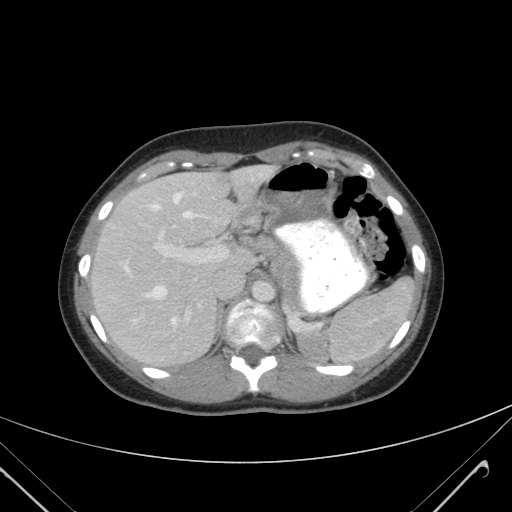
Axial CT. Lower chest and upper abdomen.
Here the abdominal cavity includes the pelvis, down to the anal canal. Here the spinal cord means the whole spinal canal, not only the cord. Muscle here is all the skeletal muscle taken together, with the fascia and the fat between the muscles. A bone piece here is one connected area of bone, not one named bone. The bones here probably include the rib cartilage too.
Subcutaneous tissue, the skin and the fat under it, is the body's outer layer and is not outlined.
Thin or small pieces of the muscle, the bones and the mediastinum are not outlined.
The muscle is outlined by [[205,404],[253,393],[247,390],[244,375],[228,364],[232,349],[224,334],[206,360],[166,370],[171,374],[167,378],[152,379],[141,371],[140,364],[111,342],[103,343],[95,333],[89,321],[93,310],[87,278],[79,276],[77,262],[85,252],[92,252],[103,221],[96,218],[99,208],[109,199],[115,206],[143,181],[135,180],[140,171],[170,159],[177,163],[175,168],[181,167],[182,161],[191,161],[193,166],[233,164],[248,156],[282,162],[311,158],[304,153],[307,149],[323,148],[370,163],[376,176],[369,179],[385,197],[393,195],[405,209],[402,216],[395,216],[409,248],[415,242],[424,250],[426,270],[421,274],[414,267],[411,325],[402,341],[353,364],[348,375],[317,372],[314,367],[319,364],[294,355],[281,332],[281,343],[272,351],[278,364],[262,374],[258,393],[295,404],[318,402],[349,392],[387,368],[414,340],[425,313],[430,250],[406,200],[369,159],[308,140],[248,153],[177,149],[136,167],[93,210],[78,243],[73,274],[74,305],[85,333],[110,361],[142,385],[175,399]]. The spinal cord is outlined by [[252,365],[257,363],[258,360],[262,356],[265,355],[265,351],[255,343],[249,343],[248,344],[245,345],[243,347],[242,347],[239,350],[239,352],[238,353],[238,354],[239,354],[241,356],[242,356],[245,359],[245,360],[249,364],[251,364]]. The torso is outlined by [[193,416],[254,412],[307,414],[346,409],[388,394],[419,362],[443,299],[441,247],[430,219],[415,196],[383,156],[356,134],[311,120],[171,131],[150,139],[130,153],[79,211],[63,247],[57,279],[59,310],[73,344],[95,376],[112,392],[139,405]]. The abdominal cavity is outlined by [[162,369],[213,354],[228,312],[258,279],[272,283],[285,342],[298,357],[345,364],[383,349],[407,318],[414,273],[407,243],[376,184],[331,160],[271,163],[248,157],[233,165],[173,169],[126,194],[99,229],[88,274],[90,300],[108,338],[124,355]]. The bones appear in 11 outlined pieces: piece 1: [[250,392],[257,392],[259,390],[257,381],[261,374],[277,364],[276,358],[271,351],[280,343],[281,329],[277,315],[271,306],[246,298],[232,307],[227,317],[228,326],[224,333],[226,341],[233,349],[229,364],[232,368],[245,375],[249,383],[248,390]], around a hole outlined by [[252,365],[257,363],[258,360],[262,356],[265,355],[265,351],[255,343],[249,343],[248,344],[245,345],[243,347],[242,347],[239,350],[239,352],[238,353],[238,354],[239,354],[241,356],[242,356],[245,359],[245,360],[249,364],[251,364]]; piece 2: [[368,178],[373,178],[375,176],[374,169],[368,163],[356,160],[349,156],[340,156],[331,151],[323,149],[310,149],[307,150],[305,153],[307,156],[310,157],[317,157],[332,160],[337,157],[339,157],[344,163],[357,170],[361,175],[363,175]]; piece 3: [[137,181],[143,180],[153,173],[156,173],[157,172],[159,172],[165,169],[172,169],[176,166],[176,163],[174,161],[171,161],[170,160],[169,161],[158,162],[155,164],[153,164],[149,166],[146,169],[140,172],[137,175],[136,177],[136,180]]; piece 4: [[333,375],[345,375],[346,374],[348,374],[349,373],[350,373],[353,370],[353,369],[354,368],[354,366],[352,364],[346,364],[345,365],[317,365],[315,367],[315,368],[317,371],[318,371],[321,373],[323,373],[324,374],[332,374]]; piece 5: [[421,273],[423,273],[425,270],[425,254],[423,250],[421,248],[421,247],[419,245],[414,243],[411,246],[411,248],[410,249],[411,250],[411,253],[412,254],[412,258],[413,259],[413,262],[414,263],[414,266],[415,268],[419,272]]; piece 6: [[389,348],[392,348],[396,345],[397,345],[401,341],[401,340],[405,335],[410,325],[410,321],[408,319],[406,319],[402,323],[400,327],[397,330],[396,333],[394,335],[394,336],[392,338],[391,341],[388,345],[388,347]]; piece 7: [[105,343],[108,343],[109,342],[109,340],[107,338],[105,334],[105,332],[99,320],[97,318],[95,314],[93,313],[91,313],[90,314],[90,321],[96,333],[98,335],[98,336],[101,339],[101,340]]; piece 8: [[84,278],[86,278],[87,277],[87,274],[88,273],[88,271],[89,270],[89,265],[90,264],[90,260],[91,259],[91,255],[89,253],[85,253],[80,258],[80,259],[78,262],[78,271],[79,272],[79,274],[80,275],[80,276],[81,276]]; piece 9: [[152,378],[163,378],[164,377],[167,377],[169,376],[170,374],[169,372],[165,370],[162,370],[161,369],[158,369],[157,368],[153,368],[152,367],[149,367],[148,366],[143,366],[141,368],[142,371],[145,374],[146,374],[148,376]]; piece 10: [[396,215],[402,215],[404,212],[404,209],[402,207],[402,206],[401,205],[401,204],[399,202],[399,201],[397,199],[396,199],[393,196],[392,196],[389,194],[388,195],[387,195],[385,198],[387,201],[387,203],[388,204],[389,207],[392,210],[392,211]]; piece 11: [[98,220],[102,220],[103,219],[104,219],[107,216],[107,215],[111,210],[111,209],[112,208],[112,207],[114,204],[113,201],[112,201],[111,200],[109,200],[108,201],[107,201],[100,208],[100,209],[98,212],[98,214],[97,215],[97,218],[98,219]]. The mediastinum is outlined by [[275,311],[275,292],[271,283],[267,280],[263,280],[262,281],[258,280],[256,282],[255,282],[254,284],[253,284],[250,287],[249,287],[246,294],[242,297],[241,297],[236,302],[246,297],[248,297],[258,302],[266,303],[267,304],[271,305],[273,309]].